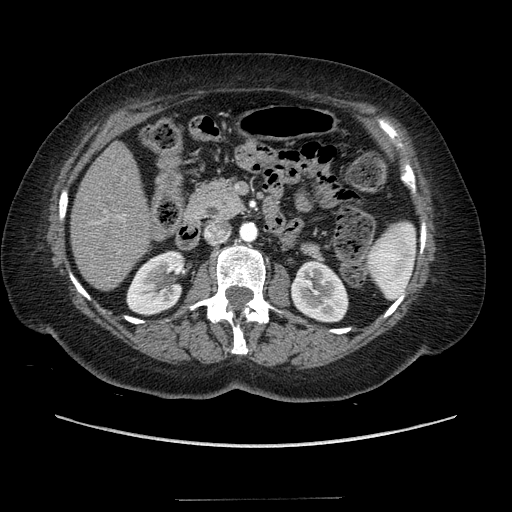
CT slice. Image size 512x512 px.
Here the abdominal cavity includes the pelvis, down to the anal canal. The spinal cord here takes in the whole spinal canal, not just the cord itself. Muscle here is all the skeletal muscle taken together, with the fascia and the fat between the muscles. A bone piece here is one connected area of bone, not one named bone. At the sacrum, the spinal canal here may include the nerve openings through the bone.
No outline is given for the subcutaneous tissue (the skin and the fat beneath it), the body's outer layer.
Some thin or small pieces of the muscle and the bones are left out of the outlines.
Outlines (x, y in pixels):
spinal cord: 232,286 237,286 238,287 245,287 246,288 248,288 250,290 251,290 252,294 253,295 252,296 252,298 247,301 245,303 244,306 239,310 235,310 233,309 233,307 229,304 229,300 226,296 226,290 228,288
torso: 219,52 287,53 346,63 397,84 427,110 459,167 485,244 483,304 459,341 340,401 287,402 240,389 205,399 163,398 96,377 51,335 17,319 0,270 0,242 15,191 49,132 90,90 124,70 166,57
muscle: 226,85 236,87 272,86 279,88 300,89 326,94 341,99 366,101 374,104 378,106 381,110 387,111 390,115 395,117 407,130 408,134 412,139 412,143 416,151 417,159 420,164 422,172 428,183 434,215 433,223 436,233 434,236 436,250 434,253 435,259 430,265 429,277 422,288 421,293 411,305 411,308 408,313 392,328 379,335 359,349 326,365 304,370 286,371 283,369 264,367 251,361 234,362 229,358 217,363 207,365 200,364 196,361 194,364 186,362 180,365 174,365 162,362 132,348 116,338 107,330 78,310 71,302 70,297 68,295 67,286 63,281 64,278 59,274 58,270 53,267 51,260 52,253 45,238 49,225 48,208 50,203 50,198 52,195 53,186 64,162 71,154 85,133 97,120 107,116 116,107 122,106 124,102 131,98 145,98 151,95 160,96 175,94 188,90 194,90 200,88 214,88 with holes at 252,91 346,109 399,162 407,158 426,241 396,309 345,333 329,332 288,309 290,275 274,262 266,267 262,293 283,312 270,310 267,323 242,323 247,353 234,354 230,324 211,322 204,305 188,308 216,292 214,262 198,266 182,303 166,317 134,324 85,298 69,277 65,220 58,213 62,190 70,193 112,138 152,115 211,93 and at 378,117 382,117 386,120 387,120 397,131 397,132 399,134 399,136 401,139 401,141 404,144 404,148 403,149 403,151 400,149 397,149 392,143 388,135 380,128 378,124 378,122 377,121 377,118
bones 1: 234,243 250,246 261,253 266,267 263,296 283,311 279,314 270,310 267,323 251,321 241,324 246,354 231,353 233,331 226,320 211,322 206,317 207,308 204,305 192,310 188,308 216,292 217,255 222,248; inner edge: 232,286 237,286 238,287 245,287 246,288 248,288 250,290 251,290 252,294 253,295 252,296 252,298 247,301 245,303 244,306 239,310 235,310 233,309 233,307 229,304 229,300 226,296 226,290 228,288
bones 2: 405,156 407,158 407,159 408,160 408,161 409,162 409,163 415,174 415,178 416,179 416,192 415,193 413,193 409,189 409,188 404,183 404,182 401,179 401,178 400,177 401,176 401,170 400,169 400,160
bones 3: 378,117 382,117 386,120 387,120 397,131 397,132 399,134 399,136 401,139 401,141 404,144 404,148 403,149 403,151 400,149 397,149 392,143 388,135 380,128 378,124 378,122 377,121 377,118
bones 4: 65,188 66,188 68,191 68,202 67,203 67,207 66,208 66,212 65,213 65,216 64,217 64,219 62,221 60,221 59,220 59,214 58,213 58,203 59,202 59,197 60,196 60,194 61,193 62,190
bones 5: 69,270 72,271 72,272 77,278 79,282 82,285 82,286 85,289 85,290 89,294 89,295 91,297 91,300 90,301 89,301 86,298 85,298 79,292 77,291 75,286 73,284 73,283 71,281 69,277
bones 6: 422,220 423,220 425,222 425,224 426,225 426,241 425,242 425,247 424,248 424,251 423,252 423,253 422,254 420,254 419,253 419,249 420,248 420,242 419,241 419,233 420,232 420,223 421,222 421,221
bones 7: 404,290 405,291 405,295 402,301 399,304 399,305 396,308 396,309 389,316 388,316 386,318 383,318 382,317 382,315 384,313 384,312 390,306 390,305 394,302 394,301 402,293 402,292
abdominal cavity: 252,91 346,109 397,157 419,223 405,290 368,324 330,328 288,309 283,264 271,269 258,249 234,242 215,264 198,266 182,303 166,317 145,320 101,305 66,252 69,194 80,172 112,138 154,114 211,93